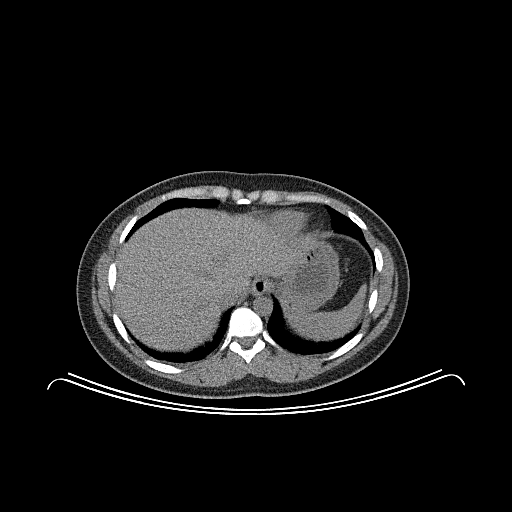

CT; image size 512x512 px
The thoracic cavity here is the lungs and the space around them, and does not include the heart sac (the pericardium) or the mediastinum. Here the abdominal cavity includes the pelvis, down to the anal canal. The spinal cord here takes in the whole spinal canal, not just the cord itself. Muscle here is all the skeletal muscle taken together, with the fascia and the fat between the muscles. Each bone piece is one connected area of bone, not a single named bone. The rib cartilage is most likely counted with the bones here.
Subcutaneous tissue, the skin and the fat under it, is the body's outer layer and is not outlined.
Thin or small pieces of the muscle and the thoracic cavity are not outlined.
muscle: 275,190 314,191 335,198 354,209 382,236 390,250 397,271 398,291 392,316 387,326 375,339 351,358 307,380 279,383 264,377 247,374 239,380 218,387 185,384 150,373 133,363 112,344 100,328 93,312 91,299 93,267 118,224 136,207 160,195 159,204 141,217 134,214 123,227 118,238 121,249 117,264 112,261 107,270 108,287 111,292 115,290 119,314 115,311 111,314 112,322 125,342 130,345 134,343 151,358 143,360 147,366 163,373 177,374 184,370 178,365 199,361 217,349 216,353 218,354 227,348 238,354 248,365 267,344 279,351 285,349 301,355 330,353 321,359 323,361 341,356 353,348 365,334 360,328 366,310 371,313 377,303 378,289 371,290 371,284 375,270 378,273 382,271 383,254 378,246 372,249 370,247 363,231 368,227 354,211 348,209 345,214 342,213 331,206 331,200 323,195 282,194
pericardium: 294,207 309,208 310,209 317,210 318,212 320,212 323,214 323,217 325,219 325,226 324,227 311,228 304,231 299,231 297,233 284,233 282,231 280,231 257,211 257,210 260,209 293,208
spinal cord: 246,336 249,336 250,337 253,337 254,338 254,342 252,344 252,345 250,347 249,347 248,348 244,348 243,347 242,347 242,346 239,343 239,339 240,338 242,338 243,337 245,337
torso: 202,170 284,173 319,180 356,197 389,225 406,255 410,274 410,292 399,331 375,361 343,380 303,393 216,399 175,395 146,387 124,377 98,355 82,328 75,291 79,261 89,237 112,209 134,193 168,177
thoracic cavity 1: 273,297 275,298 279,305 283,325 285,329 293,336 302,340 314,343 331,342 342,338 359,326 360,326 359,330 347,341 331,352 326,352 320,354 301,354 290,351 288,349 282,347 270,335 266,328 273,310
thoracic cavity 2: 230,308 232,310 230,312 227,328 221,343 216,349 205,357 196,361 174,365 152,359 134,342 129,335 134,340 158,352 187,353 198,347 203,346 212,340 214,334 218,329 222,315 224,312
thoracic cavity 3: 175,198 186,198 187,199 210,199 211,198 219,200 217,205 210,207 183,206 182,207 176,207 167,211 164,211 162,213 156,215 155,217 152,217 151,219 149,219 140,225 126,239 129,232 140,218 161,203
thoracic cavity 4: 327,206 330,206 345,215 362,230 363,235 369,247 372,250 374,261 374,268 375,269 374,270 374,267 373,266 372,263 372,258 368,250 358,239 351,235 348,235 341,232 337,232 332,229 331,227 331,217 326,207
mediastinum 1: 257,280 265,280 266,281 268,281 273,287 273,295 272,296 272,310 265,327 264,326 264,324 261,317 251,308 247,306 244,306 243,305 235,307 233,309 232,308 248,293 248,291 250,289 252,284
mediastinum 2: 227,200 237,205 249,205 254,202 268,205 298,203 323,204 326,206 325,207 330,217 330,228 326,227 326,219 324,217 324,214 318,211 317,209 294,206 260,208 254,210 230,210 216,207 220,201
bones 1: 217,185 230,189 236,188 244,192 274,190 282,195 318,195 328,198 330,205 318,202 284,203 284,201 275,204 258,201 237,204 231,199 220,200 211,197 175,197 161,202 162,194 176,189 186,187 210,189
bones 2: 241,306 251,309 260,317 263,326 267,330 269,335 283,348 283,350 279,350 269,343 267,343 263,349 257,352 253,356 248,364 238,353 230,350 227,347 222,351 217,353 218,349 225,337 231,312 235,308; inner edge: 246,336 249,336 250,337 253,337 254,338 254,342 252,344 252,345 250,347 249,347 248,348 244,348 243,347 242,347 242,346 239,343 239,339 240,338 242,338 243,337 245,337
bones 3: 359,331 363,332 364,334 360,339 360,340 353,347 352,347 349,350 343,353 341,355 339,355 334,358 332,358 328,360 323,360 322,359 324,357 328,356 333,351 336,350 339,347 340,347 346,342 347,342
bones 4: 145,359 151,359 152,360 154,360 155,361 157,361 161,363 173,365 174,366 179,367 183,369 183,370 181,372 178,372 177,373 168,373 167,372 163,372 162,371 154,369 147,365 144,362 144,360
bones 5: 114,312 115,312 117,314 117,315 121,320 123,325 125,327 128,333 128,335 129,337 133,341 132,343 130,344 126,341 125,341 118,332 113,322 113,320 112,319 112,314
bones 6: 112,262 115,262 116,263 116,280 115,281 115,285 114,286 114,290 113,290 112,291 111,291 110,290 110,288 109,287 109,284 108,283 108,270 109,269 109,266 110,265 110,264
bones 7: 134,215 138,215 139,218 132,226 132,227 128,232 127,235 125,237 125,239 123,241 123,242 122,243 120,243 119,242 119,238 120,237 120,235 121,234 121,232 123,230 124,227 130,220 130,219
bones 8: 375,247 378,247 378,248 380,250 380,251 382,254 382,258 383,259 383,264 382,265 382,267 381,268 381,271 380,272 378,272 376,270 376,269 375,268 375,261 374,260 374,255 373,254 373,249
bones 9: 348,210 349,210 350,211 352,211 353,212 354,212 356,214 357,214 363,220 363,221 365,223 365,224 366,225 366,226 367,227 367,228 365,230 363,230 358,225 357,225 351,219 350,219 346,215 346,212
bones 10: 373,289 377,289 377,299 376,300 376,303 375,304 375,305 374,306 374,307 373,308 373,309 372,310 372,311 371,312 368,312 368,300 369,299 369,296 370,295 370,294 371,293 371,291
abdominal cavity: 183,207 256,210 284,234 325,227 355,238 367,250 374,271 360,325 331,341 297,337 284,325 272,284 257,279 237,303 223,312 211,340 201,346 187,352 163,352 134,339 120,318 116,299 122,244 152,218